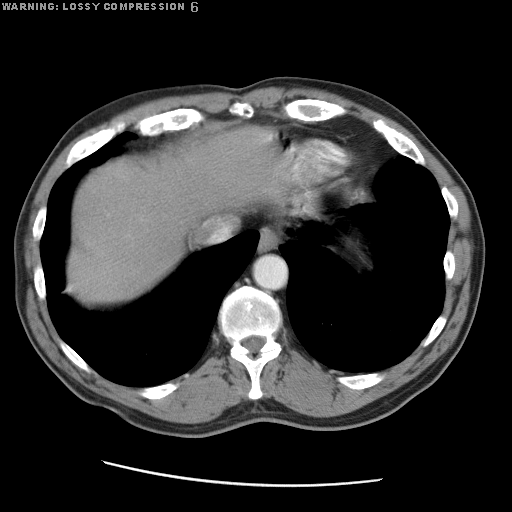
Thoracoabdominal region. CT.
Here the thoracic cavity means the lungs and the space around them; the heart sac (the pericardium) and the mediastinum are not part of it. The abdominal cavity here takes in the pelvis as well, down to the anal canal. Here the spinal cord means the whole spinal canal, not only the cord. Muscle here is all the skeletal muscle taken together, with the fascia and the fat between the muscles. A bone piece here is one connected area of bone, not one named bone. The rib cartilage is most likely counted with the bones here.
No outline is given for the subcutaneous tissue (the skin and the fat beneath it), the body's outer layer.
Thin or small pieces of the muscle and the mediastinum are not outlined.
The torso is outlined by (284, 75) (345, 83) (387, 100) (415, 122) (466, 182) (483, 228) (485, 265) (461, 348) (429, 387) (395, 412) (342, 430) (256, 422) (206, 437) (178, 437) (139, 428) (80, 399) (34, 350) (15, 305) (14, 230) (43, 162) (76, 120) (126, 94) (192, 83) (242, 87). The thoracic cavity appears in 2 outlined pieces: piece 1: (400, 155) (433, 175) (450, 219) (442, 260) (443, 305) (409, 355) (379, 371) (351, 374) (316, 360) (285, 325) (290, 270) (279, 247) (291, 237) (287, 230) (318, 222) (331, 228) (323, 245) (332, 254) (358, 277) (373, 274) (370, 227) (348, 212) (378, 201) (372, 181); piece 2: (125, 131) (136, 137) (90, 167) (72, 190) (61, 293) (78, 307) (122, 310) (153, 292) (192, 254) (248, 230) (259, 233) (253, 254) (221, 301) (217, 332) (211, 334) (199, 361) (171, 380) (142, 387) (104, 377) (60, 336) (48, 309) (40, 255) (55, 182) (65, 170). The spinal cord is outlined by (250, 336) (259, 336) (260, 337) (263, 337) (265, 339) (265, 341) (264, 342) (263, 345) (259, 349) (259, 350) (257, 353) (251, 353) (250, 352) (250, 351) (247, 348) (246, 348) (242, 344) (242, 343) (241, 342) (242, 341) (242, 340) (243, 340) (245, 338) (247, 338). The mediastinum appears in 2 outlined pieces: piece 1: (267, 223) (273, 224) (284, 236) (286, 240) (280, 244) (278, 248) (289, 270) (289, 279) (286, 289) (287, 321) (283, 316) (282, 310) (274, 297) (269, 293) (255, 286) (244, 284) (226, 294) (233, 283) (242, 273) (256, 250) (260, 237) (260, 233) (256, 229); piece 2: (338, 117) (353, 118) (365, 123) (379, 134) (399, 155) (384, 165) (375, 165) (372, 168) (369, 173) (369, 176) (365, 181) (356, 181) (350, 173) (351, 169) (358, 158) (356, 149) (353, 144) (344, 136) (323, 130) (303, 126) (298, 121) (304, 123) (312, 123) (326, 121). The pericardium is outlined by (291, 124) (299, 125) (303, 127) (327, 132) (331, 134) (338, 135) (346, 138) (354, 147) (356, 152) (356, 157) (357, 158) (350, 170) (347, 173) (341, 176) (339, 176) (310, 191) (306, 190) (303, 186) (301, 180) (301, 177) (294, 156) (292, 142) (288, 133) (288, 130). The muscle is outlined by (270, 86) (281, 86) (287, 89) (293, 87) (311, 87) (312, 88) (323, 89) (351, 99) (395, 120) (411, 132) (437, 158) (447, 170) (455, 183) (460, 187) (466, 198) (471, 214) (471, 232) (470, 235) (472, 239) (473, 249) (472, 250) (471, 274) (470, 275) (470, 297) (467, 308) (467, 313) (458, 335) (453, 344) (441, 356) (436, 359) (418, 375) (395, 390) (362, 406) (360, 408) (344, 414) (329, 417) (315, 417) (297, 412) (271, 397) (265, 399) (259, 399) (256, 401) (253, 400) (242, 401) (233, 406) (228, 407) (219, 416) (209, 421) (200, 423) (179, 423) (154, 417) (135, 408) (127, 406) (113, 399) (103, 396) (84, 386) (59, 368) (50, 359) (35, 338) (29, 325) (26, 315) (26, 288) (28, 282) (28, 277) (26, 273) (24, 263) (23, 239) (26, 232) (26, 227) (28, 223) (29, 216) (32, 208) (32, 203) (35, 197) (35, 194) (50, 166) (61, 151) (78, 135) (89, 128) (107, 121) (114, 115) (145, 101) (171, 95) (183, 95) (184, 94) (205, 93) (206, 92) (215, 92) (216, 91) (218, 92) (228, 92) (232, 94) (239, 94) (240, 95) (257, 88) (263, 88) with a hole at (298, 98) (339, 104) (347, 109) (341, 117) (372, 129) (372, 121) (382, 119) (413, 141) (438, 186) (455, 197) (457, 216) (450, 219) (446, 244) (455, 268) (444, 284) (440, 313) (447, 319) (438, 335) (380, 370) (385, 377) (378, 383) (353, 389) (337, 380) (350, 373) (324, 365) (289, 330) (286, 337) (280, 330) (276, 340) (282, 348) (261, 370) (258, 399) (248, 397) (248, 371) (230, 356) (231, 346) (220, 334) (191, 369) (171, 380) (178, 387) (158, 399) (74, 364) (59, 345) (47, 300) (34, 286) (41, 256) (40, 241) (32, 234) (72, 146) (119, 121) (126, 123) (125, 131) (139, 134) (134, 128) (139, 120) (182, 107) (197, 109) (207, 120) (230, 115) (229, 107) (238, 101) (260, 116) (286, 117) (283, 106). The bones appear in 14 outlined pieces: piece 1: (244, 285) (273, 297) (288, 329) (286, 337) (280, 330) (277, 333) (276, 340) (282, 348) (261, 370) (262, 396) (258, 399) (248, 397) (250, 376) (246, 367) (230, 356) (231, 346) (227, 340) (220, 334) (218, 343) (212, 340) (212, 334) (218, 332) (217, 318) (224, 297) with a hole at (250, 336) (259, 336) (260, 337) (263, 337) (265, 339) (265, 341) (264, 342) (263, 345) (259, 349) (259, 350) (257, 353) (251, 353) (250, 352) (250, 351) (247, 348) (246, 348) (242, 344) (242, 343) (241, 342) (242, 341) (242, 340) (243, 340) (245, 338) (247, 338); piece 2: (182, 107) (184, 108) (194, 108) (197, 109) (205, 117) (202, 121) (187, 128) (180, 129) (179, 130) (173, 130) (172, 131) (165, 131) (158, 135) (154, 135) (153, 136) (142, 135) (139, 132) (138, 129) (134, 128) (134, 125) (139, 120) (144, 117); piece 3: (298, 98) (320, 99) (321, 100) (325, 100) (329, 102) (336, 103) (343, 106) (347, 109) (347, 112) (343, 115) (336, 116) (326, 120) (313, 121) (312, 122) (304, 122) (297, 119) (294, 119) (293, 118) (288, 117) (286, 115) (283, 109) (283, 106) (287, 102); piece 4: (119, 121) (123, 121) (126, 123) (126, 127) (124, 131) (120, 133) (118, 133) (115, 135) (110, 140) (102, 145) (92, 153) (78, 160) (66, 169) (64, 168) (65, 166) (65, 160) (66, 159) (66, 157) (72, 146) (77, 141) (101, 129) (103, 129) (109, 126) (111, 126); piece 5: (374, 119) (382, 119) (389, 126) (393, 127) (395, 129) (400, 131) (411, 139) (417, 146) (420, 152) (422, 154) (425, 160) (425, 166) (421, 165) (418, 163) (416, 163) (409, 157) (402, 155) (397, 152) (388, 143) (388, 142) (373, 128) (372, 126) (372, 121); piece 6: (372, 372) (383, 372) (385, 373) (385, 377) (378, 383) (374, 385) (372, 385) (369, 387) (364, 388) (363, 389) (353, 389) (352, 388) (350, 388) (340, 383) (337, 380) (337, 377) (338, 376) (341, 376) (342, 375) (353, 375) (354, 374) (360, 374) (361, 373) (371, 373); piece 7: (169, 381) (171, 381) (175, 383) (177, 382) (179, 385) (178, 387) (171, 393) (161, 398) (159, 398) (158, 399) (149, 399) (148, 398) (143, 397) (137, 393) (137, 390) (140, 388) (142, 388) (143, 387) (149, 387) (150, 386) (156, 386) (160, 384) (163, 384); piece 8: (60, 338) (61, 338) (70, 347) (71, 347) (87, 363) (87, 364) (91, 368) (92, 368) (93, 370) (92, 372) (87, 372) (85, 370) (78, 367) (75, 364) (74, 364) (66, 356) (66, 355) (63, 352) (63, 351) (61, 349) (59, 345) (59, 343) (58, 341); piece 9: (440, 314) (443, 314) (447, 317) (446, 322) (443, 328) (438, 334) (438, 335) (428, 345) (424, 347) (423, 346) (420, 346) (419, 345) (421, 341) (427, 335) (432, 325) (434, 323) (436, 319) (440, 315); piece 10: (39, 262) (41, 262) (41, 265) (42, 266) (42, 269) (43, 270) (43, 275) (44, 276) (44, 281) (45, 282) (45, 290) (46, 291) (46, 297) (44, 300) (42, 300) (39, 298) (36, 292) (36, 290) (34, 286) (34, 281) (33, 280) (33, 275) (34, 274) (34, 268); piece 11: (43, 205) (46, 205) (46, 215) (45, 216) (45, 223) (44, 224) (44, 227) (43, 228) (42, 235) (40, 239) (38, 241) (37, 240) (35, 240) (33, 237) (33, 235) (32, 234) (32, 227) (33, 226) (35, 218) (37, 215) (38, 210) (40, 208) (40, 207); piece 12: (235, 101) (238, 101) (239, 102) (247, 102) (248, 103) (249, 103) (253, 107) (253, 108) (254, 109) (254, 114) (251, 117) (243, 117) (242, 116) (238, 116) (237, 115) (232, 115) (228, 111) (228, 109) (229, 108) (229, 107) (232, 104) (232, 103) (233, 102) (234, 102); piece 13: (444, 185) (446, 186) (447, 188) (453, 194) (453, 195) (455, 197) (457, 201) (457, 206) (458, 208) (457, 209) (457, 216) (456, 218) (450, 218) (450, 216) (448, 212) (448, 209) (447, 208) (446, 203) (444, 200) (444, 198) (441, 193) (441, 189) (440, 188); piece 14: (447, 249) (450, 250) (453, 253) (453, 255) (454, 256) (454, 260) (455, 261) (455, 268) (454, 269) (454, 272) (453, 273) (452, 277) (449, 280) (446, 280) (445, 279) (445, 272) (444, 271) (444, 266) (443, 265) (443, 260) (444, 259) (444, 256) (445, 255) (445, 253). The abdominal cavity is outlined by (221, 114) (297, 120) (287, 133) (309, 192) (349, 172) (365, 182) (383, 166) (371, 181) (377, 201) (347, 212) (369, 227) (373, 273) (358, 276) (324, 245) (328, 225) (307, 221) (286, 239) (267, 222) (192, 253) (122, 309) (83, 309) (62, 293) (78, 180) (126, 144).